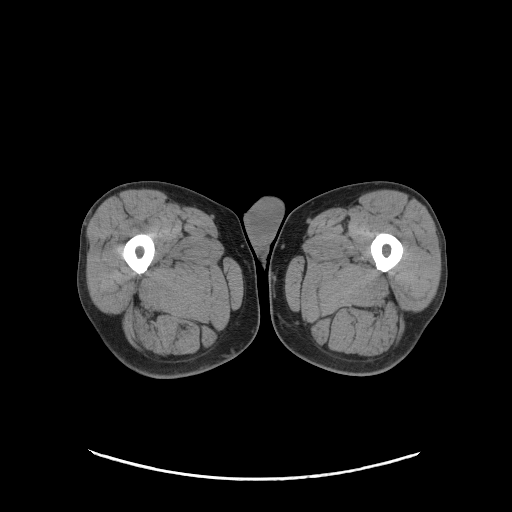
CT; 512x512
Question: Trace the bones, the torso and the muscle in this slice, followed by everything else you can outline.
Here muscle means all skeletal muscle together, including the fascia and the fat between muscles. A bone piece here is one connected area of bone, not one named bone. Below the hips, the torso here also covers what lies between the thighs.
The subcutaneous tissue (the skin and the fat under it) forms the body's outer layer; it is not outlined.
Answer: The bones appear in 2 outlined pieces: piece 1: 378,232 386,232 387,233 390,233 392,234 401,242 404,248 404,250 402,254 402,257 399,262 394,267 390,269 387,272 383,272 380,270 378,270 376,268 374,260 370,252 370,244 372,240 375,237 376,233; piece 2: 136,234 139,234 140,235 142,235 146,237 149,237 153,239 153,242 155,247 155,252 154,253 154,256 152,261 150,263 145,272 141,274 138,274 134,272 128,266 123,259 123,255 124,254 124,244 130,238. The torso is outlined by 268,194 281,198 285,204 285,211 283,221 281,222 281,225 279,226 277,230 276,236 270,243 269,251 266,257 266,262 263,268 245,231 245,227 243,223 243,213 257,199 263,195. The muscle appears in 2 outlined pieces: piece 1: 139,188 160,190 181,205 193,206 209,214 217,227 218,239 242,270 243,297 236,315 214,344 193,359 163,361 144,356 128,342 120,322 102,313 89,296 86,283 86,254 89,247 86,229 89,220 110,196 with a hole at 136,234 139,234 140,235 142,235 146,237 149,237 153,239 153,242 155,247 155,252 154,253 154,256 152,261 150,263 145,272 141,274 138,274 134,272 128,266 123,259 123,255 124,254 124,244 130,238; piece 2: 384,188 402,191 415,198 431,216 441,249 439,285 432,301 412,316 400,342 388,354 368,362 333,357 323,352 306,335 288,307 284,295 286,268 291,258 301,252 305,229 315,216 331,207 350,205 365,192, around a hole outlined by 378,232 386,232 387,233 390,233 392,234 401,242 404,248 404,250 402,254 402,257 399,262 394,267 390,269 387,272 383,272 380,270 378,270 376,268 374,260 370,252 370,244 372,240 375,237 376,233. The left leg is outlined by 373,180 402,183 415,189 429,202 445,236 447,286 437,313 424,330 416,345 403,360 391,369 379,374 368,376 346,375 305,361 292,353 280,341 273,328 269,311 269,261 285,217 295,207 328,190 347,184. The right leg is outlined by 140,180 158,180 177,184 230,208 237,215 242,225 254,258 260,308 257,333 252,342 237,356 198,374 158,379 141,375 129,369 103,343 88,319 78,296 76,274 79,237 87,211 100,196 111,188 126,182.